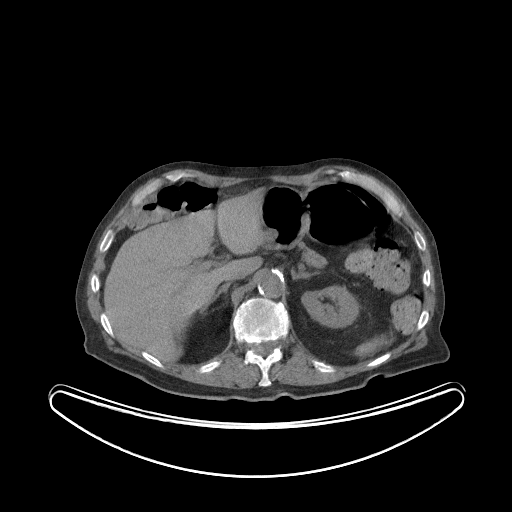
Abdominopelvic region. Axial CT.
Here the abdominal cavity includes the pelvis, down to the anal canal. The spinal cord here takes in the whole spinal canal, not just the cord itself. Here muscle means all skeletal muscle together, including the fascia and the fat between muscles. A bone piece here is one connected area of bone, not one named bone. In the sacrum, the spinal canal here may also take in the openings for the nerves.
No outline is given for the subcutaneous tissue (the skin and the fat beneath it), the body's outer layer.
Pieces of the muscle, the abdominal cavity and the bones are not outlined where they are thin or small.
{"bones":[{"outer":[[251,297],[263,297],[281,302],[287,310],[290,320],[287,335],[277,342],[280,345],[282,358],[273,362],[268,370],[271,382],[269,386],[258,385],[262,377],[261,370],[255,363],[244,364],[248,345],[238,342],[234,335],[232,325],[234,313],[242,302]],"hole":[[267,341],[273,341],[274,342],[275,342],[275,345],[272,349],[272,350],[268,354],[267,354],[265,356],[263,356],[262,355],[257,353],[252,348],[252,347],[251,346],[251,345],[253,343],[256,343],[257,344],[258,344],[261,342],[266,342]]},[[330,169],[333,169],[336,171],[349,170],[355,173],[367,175],[374,179],[385,190],[389,192],[395,198],[401,208],[401,212],[402,213],[401,217],[392,213],[388,209],[384,201],[376,193],[355,183],[345,181],[335,172],[334,173],[328,173],[327,170]],[[181,171],[190,173],[191,174],[191,176],[189,177],[183,177],[174,182],[169,182],[168,181],[166,181],[161,186],[148,194],[139,203],[136,205],[132,205],[132,201],[135,195],[148,184],[158,178],[163,178],[165,175],[167,174],[175,174]],[[109,229],[111,229],[114,232],[114,233],[115,234],[115,235],[114,236],[114,238],[113,239],[110,246],[108,248],[108,249],[105,252],[101,252],[99,250],[99,246],[100,245],[100,244],[101,243],[101,242],[102,241],[102,240],[103,239],[106,232]],[[314,359],[315,360],[318,360],[319,361],[321,361],[322,362],[324,362],[327,364],[330,364],[331,365],[332,365],[334,367],[334,368],[335,369],[335,371],[334,371],[333,372],[322,372],[321,371],[316,369],[314,367],[314,366],[311,361]],[[215,360],[220,360],[221,361],[221,363],[219,365],[219,366],[218,366],[216,368],[208,372],[203,372],[202,373],[200,372],[198,372],[197,371],[197,369],[201,365],[203,364],[205,364],[211,361],[214,361]],[[102,312],[104,312],[105,313],[105,314],[106,315],[106,316],[107,317],[107,318],[109,321],[109,323],[110,324],[110,325],[112,328],[112,330],[114,333],[114,337],[112,337],[103,328],[103,327],[101,324],[101,322],[100,321],[100,314]],[[414,231],[418,231],[419,232],[420,232],[421,233],[422,236],[424,238],[424,239],[425,240],[425,250],[424,250],[423,251],[422,250],[420,250],[416,245],[416,243],[415,242],[415,241],[414,240],[414,238],[413,237],[413,233],[414,232]],[[423,309],[425,309],[426,310],[427,310],[427,311],[428,312],[428,320],[427,321],[427,322],[425,324],[425,325],[422,328],[421,328],[419,330],[417,330],[416,329],[416,326],[417,325],[417,323],[418,322],[418,320],[419,319],[420,314]],[[387,352],[390,352],[390,356],[385,361],[384,361],[382,363],[381,363],[378,365],[376,365],[375,366],[367,366],[367,364],[370,361],[373,360],[375,358],[376,358],[377,357],[378,357],[379,356],[380,356],[381,355],[382,355],[383,354],[384,354]],[[141,351],[145,351],[149,354],[150,354],[152,356],[155,357],[158,360],[159,360],[162,363],[162,364],[163,365],[163,368],[161,368],[160,367],[159,367],[158,366],[151,363],[149,361],[148,361],[144,357],[143,357],[143,356],[141,354]],[[94,273],[95,274],[96,274],[98,276],[98,277],[99,278],[99,281],[100,282],[100,285],[99,286],[99,290],[97,292],[93,292],[92,291],[92,290],[91,289],[91,283],[90,282],[91,281],[91,276]]],"abdominal_cavity":[[[182,179],[218,187],[255,180],[298,186],[344,181],[373,192],[399,217],[419,250],[423,302],[415,329],[373,359],[333,365],[305,347],[281,301],[251,296],[233,313],[228,344],[203,362],[168,363],[126,343],[114,332],[100,300],[107,251],[138,204]]],"torso":[[[329,157],[358,160],[388,175],[430,228],[437,245],[445,292],[440,330],[450,350],[447,361],[389,377],[376,376],[363,387],[334,394],[246,401],[169,393],[85,352],[74,297],[79,271],[96,226],[136,177],[159,165],[181,160],[259,166],[297,164]]],"spinal_cord":[[[267,341],[273,341],[274,342],[275,342],[275,345],[272,349],[272,350],[268,354],[267,354],[265,356],[263,356],[262,355],[257,353],[252,348],[252,347],[251,346],[251,345],[253,343],[256,343],[257,344],[258,344],[261,342],[266,342]]],"muscle":[{"outer":[[325,165],[347,165],[374,176],[398,195],[423,230],[434,268],[436,299],[425,346],[372,369],[330,383],[272,384],[269,370],[283,358],[278,342],[288,335],[290,326],[304,347],[321,360],[312,359],[313,367],[333,373],[334,366],[366,361],[367,367],[382,364],[392,349],[429,320],[423,303],[424,286],[430,285],[431,273],[422,267],[419,251],[426,250],[422,233],[411,232],[400,219],[403,213],[396,198],[374,178],[349,169],[330,168],[328,174],[335,173],[343,180],[309,185],[271,179],[206,185],[183,178],[192,176],[187,171],[167,173],[134,195],[131,205],[136,206],[124,226],[116,233],[109,228],[98,246],[101,253],[106,252],[105,265],[100,279],[94,272],[90,276],[90,289],[93,293],[99,291],[103,310],[99,321],[112,338],[115,334],[163,369],[162,362],[190,365],[211,359],[229,344],[232,329],[235,340],[247,345],[243,364],[255,364],[260,370],[258,386],[234,389],[190,382],[107,347],[87,307],[87,271],[106,226],[140,185],[180,168],[218,176],[260,178],[269,174],[301,175]],"hole":[[215,360],[220,360],[221,361],[221,363],[219,365],[219,366],[218,366],[216,368],[208,372],[203,372],[202,373],[200,372],[198,372],[197,371],[197,369],[201,365],[203,364],[205,364],[211,361],[214,361]]}]}